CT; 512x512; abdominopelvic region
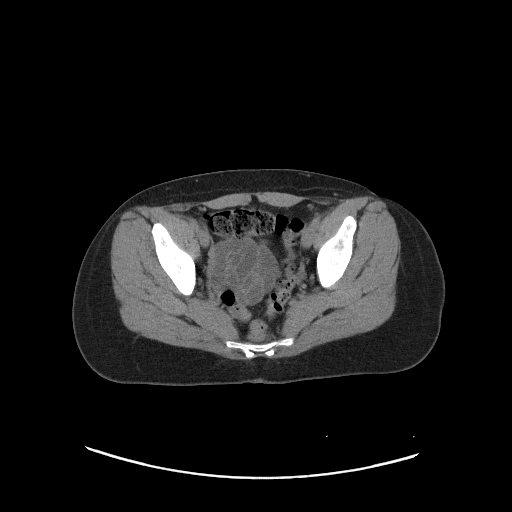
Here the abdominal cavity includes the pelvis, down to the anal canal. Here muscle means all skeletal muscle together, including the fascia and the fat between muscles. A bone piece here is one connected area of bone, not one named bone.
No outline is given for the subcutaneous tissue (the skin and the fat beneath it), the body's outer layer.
bones 1: (156, 222) (160, 222) (167, 229) (173, 240) (181, 248) (189, 253) (193, 258) (193, 260) (195, 263) (196, 283) (193, 289) (193, 291) (190, 295) (184, 295) (178, 290) (171, 279) (162, 268) (158, 260) (158, 258) (155, 252) (155, 246) (151, 233) (152, 225)
bones 2: (347, 215) (351, 215) (353, 216) (356, 220) (356, 229) (353, 235) (353, 247) (352, 248) (352, 254) (351, 255) (350, 260) (342, 276) (328, 288) (325, 288) (320, 284) (318, 280) (318, 276) (316, 271) (316, 258) (317, 257) (317, 253) (320, 246) (337, 231) (343, 219)
bones 3: (287, 337) (293, 337) (294, 340) (291, 345) (276, 346) (274, 348) (274, 352) (271, 356) (267, 356) (263, 352) (258, 352) (255, 354) (256, 355) (253, 358) (247, 358) (245, 354) (239, 348) (228, 347) (225, 343) (225, 341) (227, 340) (250, 342) (251, 343) (265, 343)
abdominal cavity: (253, 197) (278, 207) (289, 207) (305, 200) (326, 206) (325, 213) (314, 226) (316, 282) (311, 291) (292, 302) (278, 331) (260, 342) (251, 342) (241, 336) (233, 320) (198, 289) (196, 263) (200, 259) (200, 248) (192, 226) (183, 217) (184, 212) (193, 207) (236, 206)
torso: (238, 168) (294, 168) (345, 178) (397, 201) (420, 220) (435, 245) (446, 285) (440, 331) (423, 360) (409, 369) (386, 374) (282, 384) (246, 382) (193, 386) (118, 383) (101, 377) (89, 367) (74, 338) (71, 308) (81, 261) (99, 228) (119, 205) (142, 189) (178, 177)
muscle: (254, 191) (334, 198) (374, 196) (385, 202) (396, 221) (401, 242) (396, 303) (391, 316) (372, 330) (296, 355) (279, 358) (256, 357) (258, 353) (263, 353) (271, 357) (274, 354) (276, 347) (294, 343) (293, 336) (261, 342) (279, 331) (293, 302) (311, 292) (317, 279) (328, 289) (343, 276) (353, 254) (357, 220) (347, 214) (317, 252) (315, 226) (326, 213) (325, 204) (305, 199) (289, 206) (278, 206) (253, 196) (241, 204) (217, 208) (202, 204) (183, 212) (182, 217) (191, 226) (198, 244) (196, 262) (160, 221) (150, 228) (157, 260) (177, 290) (190, 296) (196, 286) (222, 310) (247, 341) (227, 339) (225, 345) (239, 349) (249, 359) (231, 359) (171, 345) (128, 329) (119, 313) (110, 265) (111, 241) (122, 213) (137, 205) (206, 201) (226, 194)